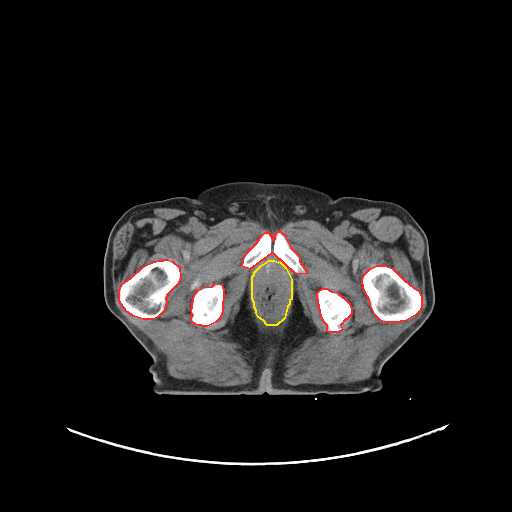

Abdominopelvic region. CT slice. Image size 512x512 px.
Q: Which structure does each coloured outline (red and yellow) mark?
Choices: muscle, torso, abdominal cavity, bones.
A: red: bones; yellow: abdominal cavity.
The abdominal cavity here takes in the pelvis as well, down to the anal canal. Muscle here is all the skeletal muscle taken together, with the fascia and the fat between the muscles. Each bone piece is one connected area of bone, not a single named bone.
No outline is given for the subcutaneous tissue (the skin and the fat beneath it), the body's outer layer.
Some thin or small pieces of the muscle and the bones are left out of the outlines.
The bones appear in 5 outlined pieces: piece 1: 164 259; 167 259; 172 261; 179 267; 180 277; 177 284; 166 295; 165 298; 166 299; 166 302; 163 311; 157 317; 153 319; 143 319; 134 316; 126 311; 119 301; 119 290; 122 283; 130 278; 143 266; 149 263; 158 260; 163 260; piece 2: 376 265; 385 265; 392 268; 404 280; 414 288; 418 290; 421 297; 421 306; 419 311; 415 315; 406 320; 400 321; 399 322; 384 322; 380 320; 375 315; 370 305; 369 299; 364 291; 363 285; 362 284; 362 278; 364 274; 370 268; piece 3: 277 231; 280 231; 284 235; 290 247; 297 254; 299 258; 299 261; 306 271; 306 273; 300 274; 295 273; 273 253; 271 253; 249 269; 242 266; 243 259; 246 253; 256 243; 262 234; 265 232; 268 232; 273 240; 275 238; 275 234; piece 4: 217 283; 221 284; 223 289; 222 311; 219 318; 215 322; 207 326; 202 326; 201 325; 197 325; 195 324; 191 321; 191 317; 192 316; 191 308; 192 307; 192 301; 193 300; 194 294; 198 289; 202 287; 212 286; 214 284; piece 5: 322 288; 326 288; 331 291; 337 292; 349 303; 351 307; 351 314; 346 319; 345 319; 340 325; 342 329; 338 332; 329 332; 327 331; 327 325; 325 323; 321 316; 320 310; 319 309; 319 305; 318 304; 317 293; 318 291. The abdominal cavity is outlined by 269 260; 274 260; 278 262; 279 261; 285 267; 291 279; 291 299; 289 300; 289 304; 287 306; 284 318; 276 325; 267 325; 263 320; 258 317; 256 313; 256 310; 254 307; 254 302; 252 299; 252 276; 254 274; 254 272; 260 266. The muscle is outlined by 372 207; 398 213; 420 234; 426 305; 421 316; 379 355; 367 379; 324 384; 290 384; 283 380; 287 356; 316 330; 295 291; 282 333; 273 334; 259 329; 248 307; 248 292; 244 292; 229 332; 234 341; 249 351; 253 372; 251 381; 229 386; 171 376; 164 355; 115 304; 113 240; 120 227; 139 210; 182 209; 210 226; 226 218; 237 218; 277 229; 286 222; 306 219; 329 228; 351 212 with holes at 277 231; 284 235; 306 273; 297 274; 286 265; 284 266; 291 279; 291 299; 284 318; 276 325; 267 325; 258 317; 254 307; 252 276; 265 262; 280 260; 271 253; 249 269; 243 267; 242 263; 246 253; 263 233; 268 232; 273 240 and at 164 259; 167 259; 172 261; 179 267; 180 277; 177 284; 166 295; 165 298; 166 299; 166 302; 163 311; 157 317; 153 319; 143 319; 134 316; 126 311; 119 301; 119 290; 122 283; 130 278; 143 266; 149 263; 158 260; 163 260 and at 376 265; 385 265; 392 268; 404 280; 414 288; 418 290; 421 297; 421 306; 419 311; 415 315; 406 320; 400 321; 399 322; 384 322; 380 320; 375 315; 370 305; 369 299; 364 291; 363 285; 362 284; 362 278; 364 274; 370 268 and at 217 283; 221 284; 223 289; 222 311; 219 318; 215 322; 207 326; 202 326; 201 325; 197 325; 195 324; 191 321; 191 317; 192 316; 191 308; 192 307; 192 301; 193 300; 194 294; 198 289; 202 287; 212 286; 214 284 and at 322 288; 326 288; 331 291; 337 292; 349 303; 351 307; 351 314; 346 319; 345 319; 340 325; 342 329; 338 332; 329 332; 327 331; 327 325; 325 323; 321 316; 320 310; 319 309; 319 305; 318 304; 317 293; 318 291 and at 195 280; 196 280; 197 280; 197 281; 198 282; 198 283; 198 284; 198 285; 198 286; 197 286; 196 287; 195 288; 194 289; 193 289; 192 289; 191 289; 191 288; 191 287; 191 286; 191 285; 192 284; 192 283; 193 282; 194 281. The torso is outlined by 233 181; 294 183; 333 198; 354 196; 391 201; 404 207; 423 229; 429 244; 434 307; 421 327; 383 365; 381 389; 332 395; 169 395; 152 390; 152 358; 105 303; 103 263; 109 232; 134 205; 177 196; 194 197; 211 186.